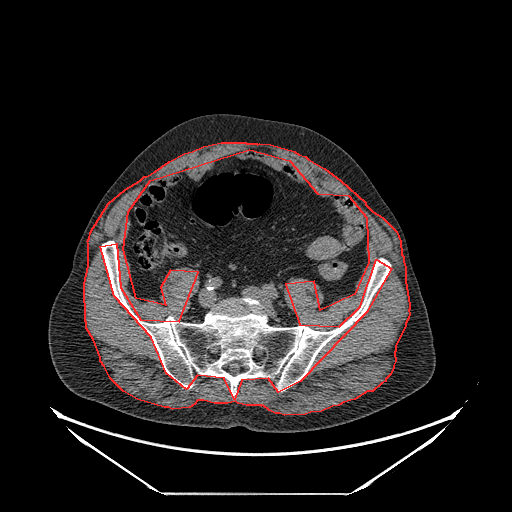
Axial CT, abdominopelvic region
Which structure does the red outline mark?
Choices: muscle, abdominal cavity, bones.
red: muscle.
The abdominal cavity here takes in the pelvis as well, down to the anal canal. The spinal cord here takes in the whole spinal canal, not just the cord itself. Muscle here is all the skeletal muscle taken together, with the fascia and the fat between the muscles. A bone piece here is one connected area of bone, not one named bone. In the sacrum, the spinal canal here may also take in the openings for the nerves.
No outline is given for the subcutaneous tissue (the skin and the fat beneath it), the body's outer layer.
{"muscle":[{"outer":[[221,142],[245,142],[246,143],[256,143],[257,144],[259,143],[270,144],[294,151],[298,154],[305,156],[308,159],[324,168],[340,180],[365,202],[365,204],[372,211],[382,217],[396,231],[400,241],[401,254],[403,256],[403,261],[405,267],[405,281],[409,304],[409,309],[408,310],[409,313],[408,318],[405,323],[405,326],[395,345],[395,351],[394,352],[395,361],[393,365],[393,368],[389,375],[385,379],[385,381],[381,383],[372,391],[367,391],[354,399],[343,402],[338,405],[332,406],[321,411],[310,412],[305,414],[284,415],[279,413],[275,413],[269,410],[263,405],[262,406],[261,405],[246,405],[238,403],[235,401],[227,403],[214,403],[203,400],[197,400],[194,404],[189,407],[172,409],[168,407],[164,407],[137,399],[123,391],[110,378],[104,366],[100,361],[100,357],[93,339],[86,328],[86,322],[85,321],[84,284],[88,265],[88,243],[87,241],[89,238],[90,232],[108,203],[125,189],[140,180],[144,176],[146,176],[155,171],[169,161],[184,153],[192,151],[203,146]],"hole":[[249,149],[289,160],[317,193],[348,195],[366,217],[368,262],[354,294],[320,310],[314,281],[285,284],[299,324],[339,326],[360,306],[376,259],[391,268],[366,312],[300,381],[278,392],[268,378],[241,380],[234,399],[224,378],[197,375],[186,389],[166,373],[151,337],[114,296],[100,246],[116,243],[120,287],[140,319],[179,321],[198,272],[170,270],[160,287],[165,305],[136,298],[123,249],[128,211],[150,180]]}],"bones":[{"outer":[[108,240],[122,293],[149,323],[170,315],[201,323],[220,300],[248,297],[271,326],[328,331],[360,306],[376,259],[391,268],[366,312],[300,381],[278,392],[268,378],[241,380],[234,399],[224,378],[197,375],[186,389],[162,368],[112,292],[100,250]],"holes":[[[226,367],[241,367],[242,368],[246,368],[246,369],[245,370],[243,370],[242,371],[241,371],[239,373],[238,373],[237,374],[236,374],[235,375],[232,375],[225,368]],[[257,348],[258,348],[259,348],[260,349],[261,349],[262,349],[263,350],[263,351],[263,352],[263,353],[263,354],[262,355],[261,355],[260,355],[259,356],[258,356],[257,356],[256,355],[256,354],[255,353],[255,352],[255,351],[256,350],[256,349]],[[212,346],[213,346],[214,346],[215,346],[216,346],[217,346],[218,347],[218,348],[219,349],[219,350],[219,351],[219,352],[218,353],[217,353],[216,353],[215,352],[214,352],[213,352],[212,352],[211,351],[211,350],[211,349],[211,348],[211,347]]]}],"spinal_cord":[[[226,367],[241,367],[242,368],[246,368],[246,369],[245,370],[243,370],[242,371],[241,371],[239,373],[238,373],[237,374],[236,374],[235,375],[232,375],[225,368]],[[257,348],[258,348],[259,348],[260,349],[261,349],[262,349],[263,350],[263,351],[263,352],[263,353],[263,354],[262,355],[261,355],[260,355],[259,356],[258,356],[257,356],[256,355],[256,354],[255,353],[255,352],[255,351],[256,350],[256,349]],[[212,346],[213,346],[214,346],[215,346],[216,346],[217,346],[218,347],[218,348],[219,349],[219,350],[219,351],[219,352],[218,353],[217,353],[216,353],[215,352],[214,352],[213,352],[212,352],[211,351],[211,350],[211,349],[211,348],[211,347]]],"abdominal_cavity":[[[249,149],[289,160],[317,193],[359,204],[368,262],[354,294],[320,310],[320,286],[292,277],[283,297],[299,324],[289,326],[269,324],[248,296],[220,299],[201,322],[180,320],[199,285],[189,267],[163,278],[165,305],[136,298],[123,244],[144,185]]],"torso":[[[216,113],[310,128],[339,145],[360,165],[403,230],[427,308],[436,365],[424,386],[377,412],[344,424],[276,433],[243,426],[223,429],[153,422],[82,398],[62,383],[49,354],[49,314],[71,270],[75,249],[94,209],[121,172],[155,139],[185,120]]]}